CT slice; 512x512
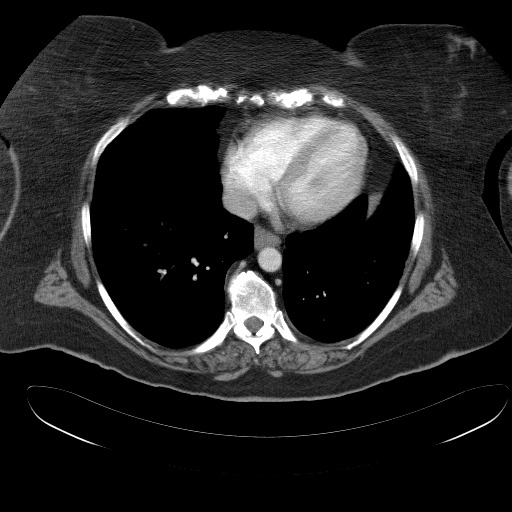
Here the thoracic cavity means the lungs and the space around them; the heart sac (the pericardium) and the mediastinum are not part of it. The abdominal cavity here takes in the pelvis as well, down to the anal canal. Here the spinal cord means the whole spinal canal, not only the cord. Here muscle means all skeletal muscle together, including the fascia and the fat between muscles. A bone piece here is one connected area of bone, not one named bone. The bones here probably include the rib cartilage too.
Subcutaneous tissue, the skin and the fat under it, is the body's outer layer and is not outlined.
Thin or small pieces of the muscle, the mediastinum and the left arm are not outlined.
Outlines:
bones 1: (241, 265) (241, 270) (253, 270) (272, 287) (277, 295) (277, 304) (298, 342) (289, 341) (276, 333) (260, 345) (257, 354) (249, 343) (231, 331) (221, 344) (205, 352) (189, 354) (189, 350) (209, 337) (222, 322) (226, 310) (230, 307) (230, 300) (225, 290) (226, 282) with a hole at (253, 316) (254, 316) (255, 317) (256, 317) (257, 318) (258, 318) (262, 322) (262, 324) (261, 325) (261, 326) (256, 331) (255, 331) (254, 332) (252, 332) (248, 328) (247, 328) (247, 327) (245, 325) (245, 321) (248, 318) (249, 318) (250, 317) (252, 317)
bones 2: (301, 87) (307, 88) (313, 94) (313, 101) (310, 104) (306, 103) (297, 107) (283, 108) (277, 105) (270, 104) (267, 101) (264, 105) (261, 106) (247, 101) (237, 104) (234, 101) (238, 94) (246, 94) (250, 96) (257, 93) (262, 96) (265, 96) (268, 91) (291, 91)
bones 3: (198, 84) (205, 84) (212, 88) (217, 88) (220, 86) (224, 87) (228, 90) (231, 95) (230, 99) (210, 102) (204, 106) (201, 106) (193, 101) (190, 101) (184, 106) (180, 105) (171, 106) (167, 103) (165, 96) (169, 91) (178, 88) (187, 87) (194, 88)
bones 4: (399, 284) (402, 284) (402, 290) (401, 291) (400, 296) (391, 311) (381, 324) (371, 334) (370, 334) (364, 340) (357, 345) (354, 346) (350, 349) (345, 349) (344, 348) (342, 348) (343, 346) (351, 342) (359, 333) (366, 328) (374, 320) (374, 319) (380, 313) (386, 305)
bones 5: (97, 279) (100, 279) (113, 303) (121, 315) (133, 328) (133, 329) (135, 330) (137, 335) (147, 344) (150, 345) (154, 349) (154, 350) (151, 350) (149, 348) (140, 344) (135, 339) (128, 334) (116, 321) (106, 307) (98, 292) (97, 286) (96, 285) (96, 280)
bones 6: (391, 135) (396, 135) (398, 136) (407, 147) (411, 155) (413, 157) (413, 159) (416, 166) (416, 169) (417, 170) (417, 177) (418, 178) (417, 184) (413, 188) (412, 187) (412, 184) (411, 183) (410, 177) (407, 171) (405, 169) (400, 159) (398, 152) (391, 139)
bones 7: (125, 117) (127, 117) (129, 119) (129, 123) (106, 146) (106, 147) (98, 158) (97, 163) (95, 165) (92, 165) (92, 157) (93, 156) (94, 149) (99, 139) (102, 136) (102, 135) (113, 124) (117, 122) (120, 119) (122, 118) (124, 118)
bones 8: (419, 211) (421, 211) (423, 213) (423, 215) (424, 216) (423, 234) (422, 235) (422, 239) (421, 240) (418, 251) (416, 255) (415, 256) (413, 256) (410, 251) (410, 247) (411, 246) (411, 240) (413, 235) (413, 230) (414, 229) (414, 224) (415, 223) (415, 215) (417, 212)
bones 9: (85, 201) (86, 201) (89, 204) (89, 221) (90, 222) (90, 227) (91, 228) (91, 245) (89, 247) (88, 247) (86, 245) (86, 244) (85, 243) (85, 241) (84, 240) (84, 237) (83, 236) (83, 232) (82, 231) (82, 226) (81, 225) (81, 207) (82, 206) (82, 204)
bones 10: (324, 94) (332, 94) (333, 95) (335, 95) (338, 97) (340, 97) (341, 98) (342, 98) (344, 100) (346, 106) (344, 108) (341, 108) (340, 107) (337, 107) (336, 106) (331, 106) (328, 104) (326, 104) (322, 100) (322, 99) (321, 98) (322, 97) (322, 96)
mediastinum 1: (248, 221) (251, 221) (264, 228) (272, 230) (282, 236) (289, 234) (285, 239) (285, 247) (282, 252) (281, 295) (279, 295) (273, 287) (253, 269) (251, 268) (241, 269) (242, 266) (241, 264) (226, 281) (226, 274) (229, 267) (234, 262) (245, 258) (254, 249) (254, 227)
mediastinum 2: (350, 112) (357, 114) (369, 122) (393, 147) (399, 157) (399, 161) (397, 162) (393, 170) (390, 180) (380, 183) (369, 194) (366, 192) (362, 193) (362, 192) (368, 187) (370, 181) (370, 174) (372, 171) (372, 157) (374, 155) (373, 140) (374, 139) (370, 128) (360, 118)
mediastinum 3: (231, 101) (233, 101) (237, 105) (247, 102) (258, 107) (265, 105) (273, 105) (282, 108) (264, 109) (246, 113) (232, 121) (226, 133) (219, 156) (219, 172) (219, 164) (217, 160) (219, 138) (216, 133) (216, 129) (225, 113) (225, 110) (222, 107) (209, 104) (214, 102)
right arm: (0, 133) (2, 135) (3, 138) (7, 143) (8, 147) (10, 150) (10, 152) (12, 155) (12, 158) (14, 162) (15, 177) (16, 178) (16, 193) (15, 194) (15, 202) (14, 203) (14, 209) (12, 211) (11, 215) (9, 217) (8, 220) (3, 227) (0, 234)
left arm: (510, 146) (511, 146) (511, 247) (511, 246) (507, 242) (498, 228) (498, 227) (500, 229) (501, 228) (501, 220) (500, 219) (500, 214) (499, 213) (499, 198) (498, 197) (498, 190) (497, 189) (497, 173) (498, 172) (498, 168) (500, 164) (500, 161) (506, 150)
muscle: (202, 79) (209, 79) (217, 82) (223, 82) (226, 80) (230, 82) (237, 82) (251, 90) (259, 90) (268, 86) (278, 85) (281, 83) (289, 85) (319, 83) (336, 88) (380, 113) (386, 120) (391, 123) (399, 135) (404, 139) (420, 162) (427, 178) (434, 209) (434, 253) (437, 259) (439, 260) (441, 258) (443, 249) (453, 269) (454, 277) (458, 284) (456, 290) (457, 295) (452, 301) (439, 309) (418, 314) (374, 343) (362, 355) (335, 369) (310, 374) (286, 372) (280, 377) (274, 377) (268, 374) (260, 367) (254, 366) (240, 376) (231, 380) (216, 380) (213, 379) (212, 375) (209, 373) (195, 373) (176, 370) (148, 361) (121, 344) (85, 314) (73, 308) (49, 306) (34, 301) (33, 294) (40, 279) (44, 275) (44, 270) (51, 260) (56, 256) (59, 248) (62, 248) (61, 260) (63, 262) (69, 256) (68, 253) (71, 239) (71, 207) (77, 189) (81, 167) (86, 159) (89, 150) (105, 130) (106, 126) (109, 125) (117, 117) (125, 113) (128, 110) (128, 107) (133, 102) (139, 100) (152, 92) (165, 90) (171, 85) (182, 81) (189, 81) (193, 83) with a hole at (198, 84) (226, 88) (231, 98) (224, 102) (233, 101) (238, 94) (265, 96) (268, 91) (305, 87) (313, 101) (304, 106) (328, 106) (321, 98) (332, 94) (342, 98) (346, 110) (369, 122) (395, 150) (391, 135) (398, 136) (409, 150) (418, 178) (412, 189) (414, 214) (421, 211) (424, 216) (422, 239) (416, 255) (410, 251) (407, 255) (395, 305) (352, 348) (342, 347) (355, 335) (323, 342) (295, 331) (298, 342) (276, 333) (260, 345) (257, 354) (231, 331) (221, 344) (189, 354) (194, 345) (171, 348) (137, 331) (151, 350) (128, 334) (103, 302) (96, 285) (100, 275) (92, 246) (86, 245) (81, 225) (82, 204) (92, 201) (95, 146) (120, 119) (127, 117) (131, 124) (151, 109) (169, 108) (165, 99) (169, 91)
spinal cord: (253, 316) (254, 316) (255, 317) (256, 317) (257, 318) (258, 318) (262, 322) (262, 324) (261, 325) (261, 326) (256, 331) (255, 331) (254, 332) (252, 332) (248, 328) (247, 328) (247, 327) (245, 325) (245, 321) (248, 318) (249, 318) (250, 317) (252, 317)
pericardium: (304, 106) (336, 107) (360, 119) (369, 128) (373, 139) (371, 171) (367, 187) (333, 217) (316, 227) (302, 230) (296, 229) (282, 235) (272, 229) (240, 217) (225, 207) (223, 198) (224, 188) (220, 176) (220, 156) (229, 128) (236, 119) (246, 114) (264, 110) (292, 109)
abdominal cavity: (389, 181) (389, 183) (387, 185) (387, 187) (383, 193) (380, 204) (375, 211) (369, 217) (367, 217) (367, 212) (368, 211) (368, 197) (369, 196) (368, 194) (369, 195) (370, 193) (371, 193) (372, 191) (376, 188) (376, 187) (379, 186) (380, 184) (384, 182) (388, 182)
thoracic cavity 1: (207, 105) (224, 110) (215, 129) (221, 205) (252, 225) (253, 249) (242, 259) (234, 261) (226, 271) (224, 290) (229, 307) (216, 329) (195, 345) (171, 348) (148, 339) (134, 329) (108, 293) (94, 259) (90, 204) (99, 158) (128, 125) (151, 109)
thoracic cavity 2: (400, 160) (412, 188) (414, 223) (409, 252) (394, 291) (373, 320) (352, 337) (323, 342) (297, 331) (294, 332) (278, 304) (277, 294) (282, 295) (283, 252) (287, 237) (295, 232) (302, 233) (315, 229) (333, 218) (363, 193) (368, 196) (366, 217) (369, 218) (381, 204)
torso: (83, 14) (141, 20) (169, 45) (213, 30) (262, 28) (342, 49) (354, 34) (378, 24) (461, 26) (511, 81) (511, 131) (490, 155) (482, 194) (511, 248) (511, 329) (429, 369) (298, 401) (184, 393) (48, 347) (0, 352) (0, 235) (17, 193) (0, 107) (39, 53)